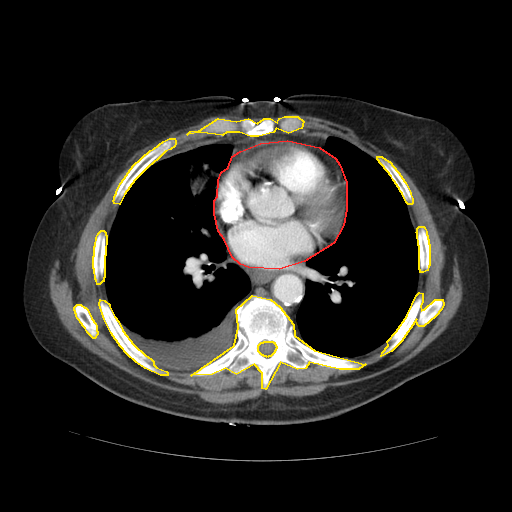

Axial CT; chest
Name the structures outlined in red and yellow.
red: pericardium; yellow: bones.
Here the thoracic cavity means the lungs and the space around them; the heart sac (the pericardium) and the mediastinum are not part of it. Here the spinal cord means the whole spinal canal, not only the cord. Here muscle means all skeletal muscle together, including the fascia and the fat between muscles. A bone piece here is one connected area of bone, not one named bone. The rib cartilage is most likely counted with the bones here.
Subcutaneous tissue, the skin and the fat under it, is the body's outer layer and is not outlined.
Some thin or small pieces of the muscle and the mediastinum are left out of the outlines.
{"pericardium":[[[287,140],[319,147],[335,158],[339,164],[346,182],[346,209],[343,225],[333,243],[304,261],[279,269],[248,267],[240,264],[232,257],[224,239],[218,231],[214,213],[214,200],[217,196],[218,180],[221,172],[228,167],[232,156],[240,151],[260,143]]],"bones":[{"outer":[[252,295],[270,299],[279,306],[293,324],[294,335],[314,350],[365,364],[358,369],[339,369],[309,362],[305,368],[297,369],[280,362],[265,389],[262,388],[262,373],[254,364],[236,374],[225,368],[212,374],[191,375],[234,345],[238,327],[236,309]],"hole":[[264,341],[272,341],[273,342],[274,342],[274,343],[275,344],[275,345],[276,346],[276,348],[275,349],[275,350],[274,351],[274,352],[270,356],[268,356],[267,357],[266,356],[264,356],[263,355],[262,355],[258,351],[258,345],[261,342],[263,342]]},[[284,116],[297,116],[303,121],[301,128],[288,133],[276,128],[273,132],[258,136],[250,136],[239,132],[226,132],[222,135],[200,132],[187,134],[190,131],[199,130],[218,118],[236,121],[248,118],[257,123],[264,118],[270,118],[277,122],[279,118]],[[419,292],[422,293],[422,301],[420,306],[421,310],[424,309],[435,299],[442,299],[443,304],[441,309],[435,316],[423,326],[419,326],[417,324],[416,319],[401,341],[391,351],[381,356],[382,352],[388,345],[387,341],[396,331],[407,315],[416,295]],[[100,299],[104,300],[109,304],[109,306],[114,316],[118,321],[122,330],[133,344],[145,355],[150,358],[153,361],[153,364],[156,367],[166,371],[167,372],[167,375],[160,375],[145,368],[136,362],[127,354],[120,346],[111,333],[104,319],[99,304]],[[169,138],[174,138],[175,140],[175,144],[174,146],[170,149],[165,151],[157,159],[148,166],[134,180],[124,194],[119,204],[114,203],[113,200],[114,199],[114,196],[116,193],[116,191],[121,182],[133,165],[150,150],[154,148],[163,141]],[[101,230],[103,230],[105,232],[105,234],[106,235],[105,255],[104,256],[104,277],[103,278],[103,281],[102,281],[99,284],[97,284],[96,280],[95,279],[94,269],[93,268],[93,256],[94,255],[94,246],[95,245],[96,237],[98,233]],[[419,226],[423,226],[424,227],[426,231],[426,234],[427,235],[427,238],[428,239],[428,243],[429,244],[429,265],[428,266],[427,270],[423,272],[420,272],[420,270],[419,269],[419,246],[418,245],[417,233],[416,232],[417,231],[417,228]],[[377,156],[381,156],[388,161],[389,161],[401,176],[401,177],[405,182],[410,192],[410,194],[412,198],[412,203],[411,204],[408,204],[406,202],[402,193],[400,191],[399,188],[397,186],[397,185],[395,183],[395,182],[393,180],[391,176],[377,159]],[[77,304],[80,304],[84,307],[85,307],[87,309],[91,318],[95,323],[96,325],[96,330],[97,331],[97,334],[94,338],[93,338],[87,332],[85,328],[82,325],[82,324],[77,318],[76,316],[76,314],[75,313],[75,311],[74,310],[74,307]]],"mediastinum":[[[226,246],[227,251],[231,257],[240,265],[248,268],[279,270],[295,264],[299,264],[306,260],[305,293],[296,312],[295,321],[292,321],[279,305],[267,297],[252,294],[247,300],[241,301],[239,303],[250,291],[251,282],[246,272],[230,260],[227,255]],[[307,130],[329,135],[324,145],[327,151],[307,142],[287,139],[272,140],[260,142],[244,148],[232,155],[231,158],[233,146],[228,141],[219,138],[204,137],[212,135],[222,136],[226,133],[239,133],[250,137],[258,137],[266,136],[274,132],[288,134]]],"muscle":[{"outer":[[287,113],[310,115],[352,129],[362,140],[384,151],[413,180],[445,246],[442,281],[452,274],[455,257],[458,264],[462,299],[448,326],[416,355],[373,377],[328,386],[313,395],[263,393],[227,404],[143,381],[74,339],[60,322],[49,294],[55,260],[59,260],[62,272],[73,272],[75,250],[91,212],[138,150],[175,130],[222,115],[242,118],[218,117],[186,133],[211,135],[175,146],[175,138],[169,137],[137,160],[113,196],[118,206],[107,238],[103,229],[95,237],[93,274],[97,285],[104,282],[107,298],[99,299],[99,308],[110,333],[131,359],[160,376],[168,372],[154,362],[175,370],[195,370],[190,373],[194,377],[225,369],[236,375],[254,365],[265,390],[280,363],[297,370],[309,363],[358,370],[366,362],[355,357],[386,342],[380,354],[385,356],[416,320],[423,327],[439,313],[442,298],[421,309],[423,293],[416,294],[419,274],[430,265],[430,244],[425,227],[414,228],[407,205],[413,198],[396,168],[383,156],[376,159],[337,135],[299,130],[304,121],[297,115],[274,120],[269,117]],"hole":[[77,304],[80,304],[84,307],[85,307],[87,309],[91,318],[95,323],[96,325],[96,330],[97,331],[97,334],[94,338],[93,338],[87,332],[85,328],[82,325],[82,324],[77,318],[76,316],[76,314],[75,313],[75,311],[74,310],[74,307]]}],"spinal_cord":[[[264,341],[272,341],[273,342],[274,342],[274,343],[275,344],[275,345],[276,346],[276,348],[275,349],[275,350],[274,351],[274,352],[270,356],[268,356],[267,357],[266,356],[264,356],[263,355],[262,355],[258,351],[258,345],[261,342],[263,342]]],"torso":[[[298,93],[348,96],[433,118],[463,143],[475,191],[469,201],[454,203],[476,224],[490,273],[485,320],[463,352],[339,416],[247,425],[136,404],[37,342],[22,303],[28,250],[64,189],[58,155],[84,114],[141,99],[227,95],[238,103],[281,102]]],"thoracic_cavity":[[[202,138],[224,140],[232,146],[230,161],[217,180],[213,213],[226,255],[248,276],[250,289],[235,309],[237,327],[233,345],[224,354],[197,369],[175,369],[155,362],[138,348],[115,316],[104,281],[106,245],[118,207],[135,180],[165,152]],[[330,135],[355,145],[384,168],[406,203],[418,246],[417,287],[406,315],[385,342],[354,357],[338,357],[314,349],[295,335],[295,326],[292,322],[296,321],[297,312],[306,293],[307,259],[333,244],[340,235],[345,221],[347,182],[337,158],[325,148]]]}